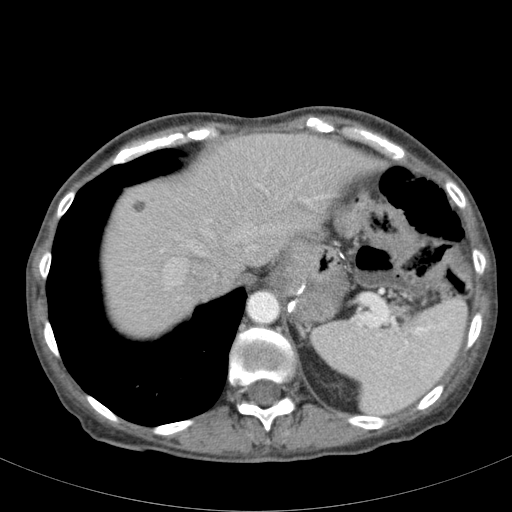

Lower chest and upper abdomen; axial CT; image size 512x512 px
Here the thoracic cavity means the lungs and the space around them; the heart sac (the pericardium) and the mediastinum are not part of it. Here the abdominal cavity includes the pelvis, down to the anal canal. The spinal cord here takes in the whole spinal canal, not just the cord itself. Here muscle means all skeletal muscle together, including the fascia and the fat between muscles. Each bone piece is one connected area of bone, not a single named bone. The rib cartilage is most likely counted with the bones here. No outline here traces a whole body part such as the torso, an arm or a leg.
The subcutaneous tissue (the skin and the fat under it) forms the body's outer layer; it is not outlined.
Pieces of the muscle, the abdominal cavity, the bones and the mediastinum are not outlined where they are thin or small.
{"muscle":[[[304,114],[336,115],[385,134],[447,172],[468,197],[489,253],[492,302],[485,340],[465,382],[440,409],[401,429],[303,452],[218,455],[189,451],[116,430],[87,414],[68,398],[50,368],[32,314],[32,261],[57,204],[59,221],[51,250],[46,249],[38,262],[46,281],[48,308],[43,338],[104,418],[117,423],[120,417],[152,427],[155,435],[168,436],[191,426],[193,417],[213,406],[227,384],[243,396],[236,410],[257,418],[269,432],[275,418],[296,407],[286,392],[298,370],[318,401],[352,414],[346,421],[366,430],[383,427],[386,416],[414,404],[416,410],[424,410],[440,397],[444,390],[440,381],[464,344],[468,350],[482,329],[482,313],[473,315],[474,279],[484,273],[486,257],[472,247],[461,211],[467,205],[461,188],[449,177],[443,184],[405,163],[407,153],[399,144],[358,126],[344,125],[338,131],[341,135],[333,133],[337,128],[332,123],[312,115],[304,124],[314,131],[219,135],[215,127],[201,126],[123,146],[110,167],[77,191],[66,192],[125,143],[168,127],[198,121],[276,123]]],"abdominal_cavity":[[[296,130],[337,134],[412,166],[442,184],[463,217],[475,272],[466,339],[439,382],[401,411],[353,414],[318,400],[298,369],[278,293],[261,283],[198,305],[187,321],[151,342],[122,337],[106,319],[98,248],[124,187],[176,170],[181,150],[192,142]]],"bones":[{"outer":[[254,326],[269,328],[285,337],[291,345],[297,366],[297,372],[287,385],[285,392],[295,407],[290,413],[275,417],[269,431],[265,430],[263,424],[257,417],[241,414],[237,410],[236,406],[244,396],[236,387],[232,387],[227,383],[229,352],[236,334]],"hole":[[262,379],[265,379],[266,380],[270,380],[277,384],[279,384],[281,385],[281,395],[279,399],[271,405],[269,405],[268,406],[261,406],[249,400],[246,395],[246,392],[247,391],[247,388],[248,386],[250,384],[258,380],[261,380]]},[[201,127],[215,128],[219,133],[216,136],[195,141],[191,140],[184,144],[155,149],[142,154],[129,161],[113,165],[111,164],[111,161],[114,156],[123,147],[130,146],[139,141],[148,140],[155,137],[168,135],[171,133],[181,132],[185,134],[191,130]],[[344,126],[352,126],[353,127],[358,127],[365,129],[382,137],[384,137],[388,140],[399,145],[406,153],[406,157],[404,163],[401,163],[392,159],[389,156],[382,153],[377,149],[368,145],[366,143],[363,143],[354,139],[350,139],[342,135],[339,131]],[[353,415],[366,415],[367,416],[380,416],[381,417],[385,417],[387,421],[386,423],[383,426],[377,429],[366,429],[365,428],[363,428],[359,426],[352,425],[350,424],[347,421],[347,418]],[[190,418],[193,418],[194,419],[194,422],[191,425],[183,430],[181,430],[168,435],[160,435],[159,434],[155,434],[153,433],[152,431],[152,428],[154,426],[157,426],[158,425],[161,425],[166,423],[177,422],[178,421],[181,421],[182,420],[185,420]],[[447,178],[449,178],[453,181],[454,181],[455,183],[460,188],[460,189],[462,191],[465,197],[465,199],[466,200],[466,205],[464,208],[462,208],[461,209],[459,207],[458,207],[458,206],[455,203],[455,202],[452,199],[452,198],[447,193],[443,185]],[[476,312],[480,312],[482,315],[482,324],[481,325],[481,329],[480,330],[480,332],[476,340],[468,349],[466,349],[465,347],[465,345],[466,344],[466,340],[467,339],[467,335],[468,334],[468,331],[469,330],[470,323],[471,322],[471,320],[473,316]],[[438,384],[442,384],[443,385],[443,390],[441,394],[439,396],[439,397],[432,404],[431,404],[426,408],[424,409],[422,409],[421,410],[416,409],[416,405],[417,403],[428,392],[429,392],[430,390],[431,390],[436,385]],[[87,393],[91,395],[103,405],[104,405],[107,408],[108,408],[112,412],[113,412],[117,416],[118,416],[119,417],[119,421],[117,422],[112,421],[104,417],[101,414],[100,414],[97,411],[96,411],[87,400],[86,398],[86,394]],[[46,319],[48,319],[50,323],[50,325],[55,338],[55,341],[56,342],[56,344],[57,345],[57,347],[58,348],[61,358],[57,358],[54,355],[54,354],[50,350],[49,347],[45,341],[44,334],[43,333],[43,328],[44,327],[44,321]],[[71,190],[74,190],[76,192],[74,196],[74,198],[71,204],[69,206],[69,207],[67,209],[65,213],[59,219],[58,219],[56,216],[56,212],[57,211],[58,204],[61,200],[61,199],[64,196],[64,195],[66,193],[67,193]]],"mediastinum":[[[256,284],[261,284],[277,293],[279,298],[279,302],[287,319],[287,325],[289,327],[288,330],[291,333],[291,336],[289,338],[283,336],[274,329],[267,326],[260,326],[259,325],[250,326],[237,333],[237,330],[245,308],[245,302],[247,298],[246,290]]],"thoracic_cavity":[[[163,148],[182,152],[179,166],[124,186],[101,230],[97,270],[107,323],[126,340],[151,343],[187,322],[198,306],[238,288],[246,298],[217,400],[192,417],[149,426],[117,415],[72,376],[49,320],[46,285],[58,224],[77,192],[112,166]]],"spinal_cord":[[[262,379],[265,379],[266,380],[270,380],[277,384],[279,384],[281,385],[281,395],[279,399],[271,405],[269,405],[268,406],[261,406],[249,400],[246,395],[246,392],[247,391],[247,388],[248,386],[250,384],[258,380],[261,380]]]}